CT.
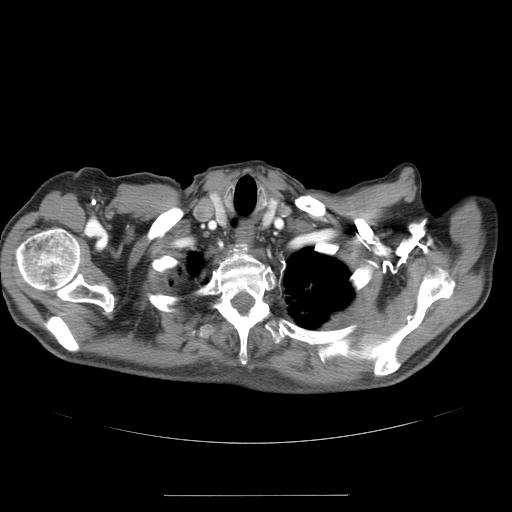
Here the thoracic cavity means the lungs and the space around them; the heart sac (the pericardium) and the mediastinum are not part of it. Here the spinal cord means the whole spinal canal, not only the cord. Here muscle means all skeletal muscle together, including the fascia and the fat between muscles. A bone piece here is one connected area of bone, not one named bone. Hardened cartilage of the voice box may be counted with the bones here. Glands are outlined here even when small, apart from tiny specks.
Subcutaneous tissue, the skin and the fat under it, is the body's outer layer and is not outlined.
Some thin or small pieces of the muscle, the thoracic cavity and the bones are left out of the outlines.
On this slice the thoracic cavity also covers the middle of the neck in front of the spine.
Outlines:
spinal cord: (240, 292) (245, 292) (247, 293) (249, 295) (250, 295) (253, 299) (253, 303) (252, 305) (249, 308) (247, 312) (244, 314) (242, 314) (240, 312) (239, 312) (239, 311) (235, 307) (233, 306) (231, 302) (232, 299) (238, 293)
torso: (246, 158) (329, 191) (402, 162) (416, 165) (422, 195) (437, 211) (430, 246) (440, 274) (486, 301) (428, 365) (386, 387) (262, 393) (70, 363) (14, 322) (51, 307) (88, 254) (90, 229) (77, 194) (52, 175) (94, 166) (110, 176) (167, 175) (186, 187) (210, 166)
bones 1: (235, 243) (278, 277) (270, 318) (310, 330) (356, 324) (352, 339) (405, 325) (438, 267) (455, 286) (402, 339) (401, 365) (387, 375) (374, 375) (372, 360) (323, 362) (316, 344) (289, 336) (276, 343) (263, 322) (249, 330) (242, 364) (216, 298) (192, 293), around a hole outlined by (240, 292) (245, 292) (247, 293) (249, 295) (250, 295) (253, 299) (253, 303) (252, 305) (249, 308) (247, 312) (244, 314) (242, 314) (240, 312) (239, 312) (239, 311) (235, 307) (233, 306) (231, 302) (232, 299) (238, 293)
bones 2: (55, 227) (63, 228) (75, 237) (79, 244) (80, 252) (78, 271) (88, 284) (103, 283) (107, 286) (114, 296) (114, 307) (112, 311) (106, 313) (100, 306) (94, 303) (63, 300) (58, 297) (53, 290) (40, 290) (24, 281) (16, 264) (15, 251) (17, 247) (28, 236)
bones 3: (53, 315) (60, 316) (66, 323) (69, 329) (71, 331) (74, 338) (79, 345) (79, 350) (78, 351) (76, 351) (75, 352) (72, 352) (71, 351) (67, 350) (64, 347) (63, 347) (57, 341) (55, 337) (42, 325) (42, 324) (44, 322) (45, 322) (50, 316) (52, 316)
bones 4: (174, 206) (177, 206) (181, 208) (183, 211) (183, 215) (179, 219) (179, 220) (177, 221) (167, 231) (166, 231) (162, 236) (160, 236) (159, 237) (156, 237) (151, 240) (149, 240) (147, 237) (147, 233) (154, 220) (160, 214) (161, 214) (163, 212) (168, 210) (170, 208)
bones 5: (300, 195) (310, 195) (312, 197) (317, 199) (319, 201) (323, 203) (326, 208) (326, 212) (327, 213) (327, 215) (326, 216) (326, 220) (324, 221) (318, 218) (313, 217) (309, 213) (297, 207) (294, 203) (294, 200)
bones 6: (149, 292) (151, 293) (159, 293) (164, 295) (171, 295) (172, 296) (177, 296) (179, 297) (179, 300) (173, 305) (176, 310) (172, 312) (168, 312) (167, 311) (162, 311) (157, 309) (154, 306) (153, 306) (148, 300) (148, 298) (147, 297) (147, 293)
bones 7: (362, 266) (366, 266) (366, 268) (367, 270) (370, 272) (371, 277) (369, 281) (362, 288) (361, 288) (357, 292) (355, 292) (353, 287) (351, 285) (349, 281) (349, 277) (352, 273) (352, 272) (353, 272) (357, 268) (359, 267) (361, 267)
bones 8: (163, 255) (168, 255) (173, 258) (175, 258) (179, 261) (179, 264) (177, 266) (176, 266) (173, 268) (171, 268) (170, 269) (167, 269) (164, 271) (158, 271) (157, 270) (154, 269) (151, 265) (151, 262) (154, 259) (159, 258)
bones 9: (316, 242) (327, 242) (328, 243) (335, 243) (338, 245) (338, 249) (336, 251) (336, 252) (335, 253) (335, 254) (333, 256) (331, 256) (330, 255) (328, 255) (327, 254) (324, 254) (323, 253) (321, 253) (320, 252) (318, 252) (317, 251) (316, 251) (314, 249) (314, 245)
bones 10: (208, 324) (211, 325) (212, 326) (212, 328) (213, 329) (213, 330) (209, 334) (209, 335) (206, 337) (205, 337) (204, 336) (201, 336) (200, 335) (199, 335) (198, 332) (199, 331) (199, 329) (200, 328) (200, 327) (201, 327) (204, 325) (207, 325)
thoracic cavity 1: (244, 169) (293, 209) (294, 238) (341, 261) (351, 273) (352, 300) (320, 329) (300, 326) (276, 309) (274, 294) (279, 277) (271, 259) (248, 252) (247, 244) (202, 229) (191, 218) (193, 205) (208, 194) (214, 217) (224, 229) (227, 215) (222, 196) (211, 192), around a hole outlined by (270, 198) (272, 198) (276, 201) (277, 203) (277, 206) (278, 207) (275, 212) (275, 214) (270, 224) (266, 228) (264, 228) (262, 224) (262, 218) (263, 217) (263, 215) (267, 210) (267, 208) (268, 207) (267, 206) (268, 205) (268, 201) (270, 199)
thoracic cavity 2: (191, 250) (199, 250) (201, 251) (203, 253) (203, 256) (206, 261) (206, 265) (205, 267) (208, 272) (208, 276) (209, 278) (208, 281) (201, 285) (200, 282) (198, 282) (193, 279) (190, 279) (188, 277) (189, 276) (186, 269) (186, 258) (188, 255) (188, 253)
thyroid glands 1: (211, 193) (216, 193) (220, 196) (221, 196) (221, 198) (222, 199) (222, 205) (224, 208) (224, 211) (226, 215) (226, 225) (224, 228) (222, 228) (220, 226) (220, 225) (218, 223) (215, 217) (215, 210) (214, 209) (214, 205) (212, 201) (209, 198) (209, 194)
thyroid glands 2: (270, 198) (272, 198) (276, 201) (277, 203) (277, 206) (278, 207) (275, 212) (275, 214) (270, 224) (266, 228) (264, 228) (262, 224) (262, 218) (263, 217) (263, 215) (267, 210) (267, 208) (268, 207) (267, 206) (268, 205) (268, 201) (270, 199)
right arm: (51, 176) (57, 177) (66, 182) (74, 190) (76, 194) (77, 200) (86, 217) (89, 229) (89, 244) (87, 254) (67, 290) (51, 306) (31, 317) (18, 321) (13, 321) (6, 307) (2, 292) (2, 283) (0, 279) (1, 232) (11, 216) (32, 195) (35, 190) (46, 179)
left arm: (472, 190) (484, 192) (491, 195) (496, 202) (498, 210) (499, 223) (498, 224) (499, 225) (498, 226) (499, 229) (498, 230) (498, 244) (493, 268) (493, 283) (487, 300) (470, 295) (452, 285) (441, 274) (435, 262) (431, 246) (432, 229) (438, 211) (443, 210) (462, 195)
muscle 1: (249, 163) (326, 195) (391, 182) (409, 166) (415, 211) (444, 235) (451, 214) (477, 202) (486, 231) (482, 292) (402, 365) (403, 339) (454, 292) (447, 270) (422, 277) (405, 324) (352, 338) (356, 323) (322, 327) (371, 272) (351, 272) (334, 256) (335, 242) (294, 237) (294, 209) (253, 171) (244, 168) (190, 208) (197, 227) (235, 242) (210, 276) (199, 249) (187, 253) (185, 269) (200, 283) (191, 293) (214, 297) (209, 307) (236, 330) (242, 365) (249, 332) (263, 323) (276, 344) (289, 337) (316, 345) (323, 363) (372, 361) (373, 375) (383, 377) (317, 386) (266, 369) (156, 367) (76, 352) (60, 315) (41, 324) (55, 341) (3, 287) (5, 239) (51, 190) (99, 196) (124, 182) (163, 183) (183, 199) (208, 172) with holes at (55, 227) (63, 228) (75, 237) (79, 244) (80, 252) (78, 271) (88, 284) (103, 283) (107, 286) (114, 296) (114, 307) (112, 311) (106, 313) (100, 306) (94, 303) (63, 300) (58, 297) (53, 290) (40, 290) (24, 281) (16, 264) (15, 251) (17, 247) (28, 236) and at (174, 206) (177, 206) (181, 208) (183, 211) (183, 215) (179, 219) (179, 220) (177, 221) (167, 231) (166, 231) (162, 236) (160, 236) (159, 237) (156, 237) (151, 240) (149, 240) (147, 237) (147, 233) (154, 220) (160, 214) (161, 214) (163, 212) (168, 210) (170, 208) and at (300, 195) (310, 195) (312, 197) (317, 199) (319, 201) (323, 203) (326, 208) (326, 212) (327, 213) (327, 215) (326, 216) (326, 220) (324, 221) (318, 218) (313, 217) (309, 213) (297, 207) (294, 203) (294, 200) and at (149, 292) (151, 293) (159, 293) (164, 295) (171, 295) (172, 296) (177, 296) (179, 297) (179, 300) (173, 305) (176, 310) (172, 312) (168, 312) (167, 311) (162, 311) (157, 309) (154, 306) (153, 306) (148, 300) (148, 298) (147, 297) (147, 293) and at (163, 255) (168, 255) (173, 258) (175, 258) (179, 261) (179, 264) (177, 266) (176, 266) (173, 268) (171, 268) (170, 269) (167, 269) (164, 271) (158, 271) (157, 270) (154, 269) (151, 265) (151, 262) (154, 259) (159, 258) and at (208, 324) (211, 325) (212, 326) (212, 328) (213, 329) (213, 330) (209, 334) (209, 335) (206, 337) (205, 337) (204, 336) (201, 336) (200, 335) (199, 335) (198, 332) (199, 331) (199, 329) (200, 328) (200, 327) (201, 327) (204, 325) (207, 325)
muscle 2: (275, 289) (277, 291) (276, 291) (275, 293) (273, 294) (273, 305) (275, 307) (275, 309) (277, 310) (277, 311) (281, 315) (281, 316) (278, 316) (275, 318) (274, 317) (270, 317) (272, 315) (272, 311) (271, 310) (271, 305) (268, 300) (268, 293) (270, 292) (272, 292)
muscle 3: (255, 255) (258, 255) (259, 256) (265, 256) (266, 257) (267, 257) (270, 260) (271, 260) (271, 261) (272, 262) (273, 262) (273, 263) (274, 264) (275, 264) (275, 271) (273, 269) (273, 267) (269, 263) (266, 263) (265, 262) (264, 262) (259, 258) (256, 257) (255, 256)